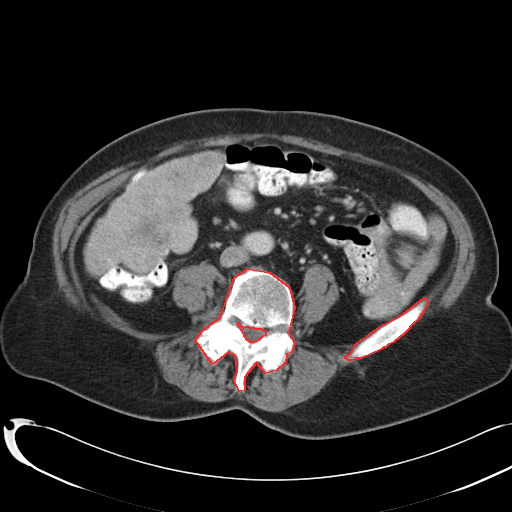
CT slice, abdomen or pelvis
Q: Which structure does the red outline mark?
A: red: bones.
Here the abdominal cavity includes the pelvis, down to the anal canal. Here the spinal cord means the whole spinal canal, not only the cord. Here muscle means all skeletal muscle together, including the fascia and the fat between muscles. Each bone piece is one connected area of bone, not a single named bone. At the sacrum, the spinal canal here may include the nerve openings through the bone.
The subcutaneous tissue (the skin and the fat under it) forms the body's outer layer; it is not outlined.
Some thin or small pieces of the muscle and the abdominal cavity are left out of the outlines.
The bones appear in 2 outlined pieces: piece 1: 248 268; 269 272; 289 287; 294 308; 288 332; 294 343; 291 352; 286 354; 285 362; 276 370; 265 373; 256 362; 244 377; 244 390; 239 391; 234 380; 237 371; 235 355; 228 352; 212 364; 195 340; 202 330; 220 317; 234 277, around a hole outlined by 238 322; 239 324; 243 327; 245 326; 248 326; 249 327; 253 327; 254 328; 260 328; 261 329; 263 329; 265 330; 265 335; 262 336; 258 340; 254 342; 250 342; 248 340; 247 340; 244 336; 244 334; 241 330; 238 324; piece 2: 424 297; 426 298; 427 302; 423 311; 417 320; 414 322; 404 333; 393 342; 388 344; 385 347; 383 347; 381 349; 361 358; 356 358; 352 360; 349 360; 344 357; 351 352; 356 343; 361 339; 367 336; 371 332; 383 324; 399 316. The abdominal cavity is outlined by 260 138; 378 166; 419 189; 454 243; 423 297; 342 349; 304 338; 339 297; 320 263; 305 270; 294 314; 279 276; 248 267; 229 290; 206 260; 173 276; 171 298; 192 316; 179 330; 142 330; 87 297; 78 238; 133 174; 191 147. The muscle is outlined by 229 133; 301 136; 394 165; 447 195; 467 220; 475 244; 474 270; 457 300; 448 309; 427 319; 405 339; 386 347; 418 320; 428 302; 425 296; 444 273; 455 246; 445 214; 408 179; 378 165; 265 137; 224 145; 191 146; 166 155; 133 173; 99 207; 77 238; 74 261; 83 291; 88 299; 91 294; 95 295; 142 331; 175 332; 193 323; 192 314; 179 307; 172 298; 176 272; 202 261; 213 265; 226 279; 229 295; 219 317; 202 329; 194 341; 212 365; 228 353; 234 355; 236 371; 233 380; 237 391; 245 390; 245 377; 256 363; 267 374; 282 366; 287 354; 292 352; 295 340; 289 331; 298 310; 299 293; 306 270; 320 264; 333 273; 338 297; 325 315; 306 329; 303 338; 312 344; 341 350; 345 345; 355 343; 343 357; 349 361; 379 351; 353 361; 338 371; 317 394; 279 412; 263 410; 238 397; 217 402; 191 398; 163 379; 149 349; 68 305; 58 290; 54 272; 54 226; 61 208; 76 191; 110 169; 145 160; 174 143. The torso is outlined by 225 106; 357 119; 403 135; 457 167; 478 192; 498 247; 491 300; 511 321; 511 372; 505 379; 404 423; 312 440; 283 434; 239 409; 171 422; 141 419; 14 372; 0 352; 0 313; 25 274; 37 221; 54 192; 118 136; 175 114. The spinal cord is outlined by 238 322; 239 324; 243 327; 245 326; 248 326; 249 327; 253 327; 254 328; 260 328; 261 329; 263 329; 265 330; 265 335; 262 336; 258 340; 254 342; 250 342; 248 340; 247 340; 244 336; 244 334; 241 330; 238 324.